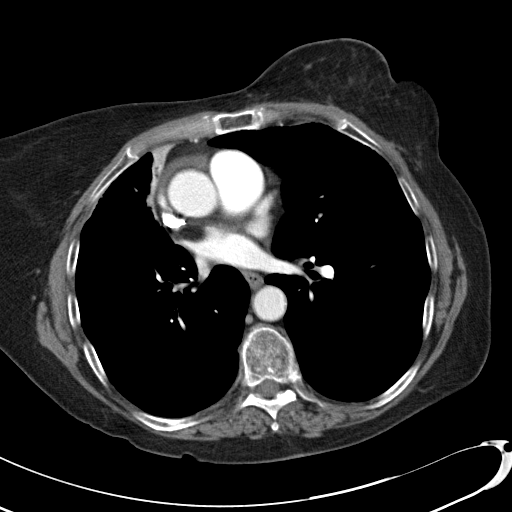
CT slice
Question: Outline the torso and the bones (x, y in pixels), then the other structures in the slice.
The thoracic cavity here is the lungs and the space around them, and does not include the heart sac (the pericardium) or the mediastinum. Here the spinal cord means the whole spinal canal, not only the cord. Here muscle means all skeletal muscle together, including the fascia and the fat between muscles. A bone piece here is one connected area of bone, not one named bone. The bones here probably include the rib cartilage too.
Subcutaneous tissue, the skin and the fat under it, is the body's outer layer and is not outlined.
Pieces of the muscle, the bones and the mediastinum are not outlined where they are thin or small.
Answer: torso: (336, 37) (375, 46) (395, 79) (418, 82) (436, 104) (439, 155) (474, 204) (489, 248) (492, 337) (477, 377) (367, 440) (264, 463) (216, 464) (197, 461) (188, 454) (179, 458) (159, 455) (69, 415) (0, 350) (0, 137) (114, 104) (187, 100) (234, 91) (288, 50)
bones 1: (257, 325) (272, 327) (290, 341) (305, 387) (327, 404) (322, 407) (298, 396) (296, 400) (285, 404) (278, 410) (276, 414) (278, 429) (276, 431) (270, 427) (273, 419) (262, 408) (248, 405) (238, 410) (234, 409) (237, 388) (234, 384) (240, 371) (238, 347) (244, 336); inner edge: (267, 379) (268, 379) (269, 380) (272, 380) (279, 384) (279, 386) (278, 387) (278, 389) (277, 390) (277, 391) (272, 396) (266, 396) (263, 393) (262, 393) (259, 391) (257, 391) (256, 390) (256, 388) (257, 387) (257, 386) (259, 384) (260, 384) (263, 381) (264, 381)
bones 2: (260, 106) (279, 111) (282, 115) (281, 121) (258, 129) (240, 129) (222, 134) (194, 134) (165, 143) (142, 154) (123, 170) (95, 203) (89, 201) (89, 196) (94, 188) (116, 163) (127, 146) (143, 142) (165, 128) (197, 119) (203, 115) (213, 116) (221, 112) (238, 112)
bones 3: (220, 400) (216, 406) (199, 413) (195, 417) (199, 419) (209, 416) (210, 418) (197, 424) (172, 431) (165, 431) (164, 430) (154, 429) (138, 420) (132, 414) (132, 411) (134, 410) (140, 410) (150, 415) (162, 418) (182, 418) (194, 415) (196, 413) (204, 410) (217, 403)
bones 4: (416, 362) (419, 362) (420, 363) (420, 365) (415, 375) (411, 381) (396, 396) (379, 407) (376, 407) (371, 409) (366, 409) (364, 408) (364, 406) (365, 405) (369, 404) (371, 402) (373, 402) (377, 396) (387, 390) (392, 385) (393, 385) (404, 374) (404, 373) (414, 363)
bones 5: (335, 117) (338, 117) (339, 118) (346, 118) (354, 125) (355, 125) (367, 135) (368, 135) (372, 139) (373, 139) (376, 142) (377, 142) (379, 145) (379, 147) (378, 148) (378, 152) (377, 152) (369, 146) (335, 129) (334, 128) (334, 118)
bones 6: (87, 340) (88, 340) (93, 346) (95, 350) (95, 352) (98, 357) (98, 359) (105, 372) (105, 374) (108, 380) (108, 386) (107, 387) (104, 386) (99, 380) (99, 379) (96, 376) (93, 370) (91, 368) (85, 356) (85, 354) (83, 350) (83, 343)
bones 7: (428, 293) (430, 293) (432, 294) (434, 298) (434, 303) (433, 304) (433, 316) (432, 317) (432, 322) (431, 323) (431, 326) (430, 327) (430, 329) (429, 330) (428, 335) (425, 339) (423, 339) (422, 320) (423, 319) (423, 311) (424, 310) (424, 304) (425, 303) (425, 299)
bones 8: (74, 239) (79, 239) (79, 248) (78, 249) (78, 253) (77, 254) (77, 259) (76, 260) (76, 265) (75, 266) (75, 272) (74, 273) (74, 275) (71, 275) (69, 276) (67, 274) (67, 272) (66, 271) (67, 254) (68, 253) (68, 249) (69, 248) (70, 243) (71, 241)
bones 9: (69, 293) (71, 293) (75, 295) (76, 299) (77, 300) (77, 304) (78, 305) (78, 310) (79, 311) (79, 317) (80, 318) (80, 324) (78, 325) (75, 329) (74, 329) (72, 327) (70, 323) (70, 321) (69, 320) (69, 316) (68, 315) (68, 306) (67, 305) (67, 297)
bones 10: (400, 176) (401, 177) (403, 177) (409, 184) (410, 187) (412, 189) (417, 199) (417, 201) (419, 204) (419, 208) (418, 209) (419, 214) (418, 216) (416, 215) (413, 211) (412, 208) (410, 206) (400, 186) (400, 184) (397, 178) (397, 177) (399, 177)
bones 11: (429, 235) (430, 235) (432, 237) (433, 239) (433, 242) (435, 246) (435, 251) (436, 252) (436, 257) (437, 258) (437, 268) (435, 271) (433, 271) (430, 268) (429, 266) (429, 264) (428, 263) (428, 258) (427, 257) (427, 253) (426, 252) (426, 247) (425, 246) (425, 238)
thoracic cavity 1: (282, 121) (320, 122) (378, 153) (393, 170) (422, 227) (430, 269) (422, 311) (422, 340) (403, 374) (365, 401) (331, 399) (313, 389) (300, 370) (284, 325) (287, 296) (265, 281) (275, 228) (285, 213) (279, 195) (281, 177) (239, 149) (208, 144) (218, 135) (258, 130)
thoracic cavity 2: (170, 142) (156, 186) (152, 213) (154, 219) (175, 244) (194, 256) (214, 267) (226, 265) (235, 268) (249, 288) (242, 338) (237, 347) (239, 367) (235, 378) (217, 402) (182, 417) (162, 417) (141, 410) (109, 381) (81, 325) (75, 290) (80, 234) (99, 198) (140, 157)
spinal cord: (267, 379) (268, 379) (269, 380) (272, 380) (279, 384) (279, 386) (278, 387) (278, 389) (277, 390) (277, 391) (272, 396) (266, 396) (263, 393) (262, 393) (259, 391) (257, 391) (256, 390) (256, 388) (257, 387) (257, 386) (259, 384) (260, 384) (263, 381) (264, 381)
mediastinum 1: (271, 252) (264, 281) (267, 284) (276, 286) (282, 290) (286, 296) (287, 308) (283, 316) (283, 325) (288, 338) (274, 327) (262, 324) (257, 324) (252, 326) (243, 337) (245, 317) (250, 301) (250, 288) (242, 274) (235, 267) (232, 266) (241, 269) (249, 269) (266, 259)
mediastinum 2: (211, 134) (217, 135) (209, 139) (207, 141) (207, 144) (212, 147) (220, 148) (214, 148) (207, 152) (183, 153) (173, 158) (171, 161) (163, 168) (165, 162) (165, 157) (166, 155) (168, 154) (172, 146) (172, 142) (173, 141) (183, 138) (189, 138) (194, 135) (210, 135)
mediastinum 3: (154, 207) (154, 211) (156, 214) (156, 216) (159, 219) (160, 223) (164, 227) (169, 229) (173, 237) (175, 238) (176, 240) (177, 240) (177, 242) (182, 245) (175, 243) (169, 236) (166, 230) (161, 225) (160, 225) (155, 219) (154, 217) (154, 214) (153, 213) (154, 212)
muscle: (264, 101) (333, 104) (397, 145) (436, 211) (449, 243) (453, 236) (457, 241) (466, 267) (467, 293) (438, 358) (405, 398) (373, 419) (328, 429) (317, 437) (275, 433) (259, 439) (241, 435) (187, 440) (161, 436) (113, 411) (85, 389) (40, 343) (35, 314) (44, 297) (49, 264) (62, 229) (84, 191) (128, 140) (153, 126) (196, 112) (220, 112) (165, 127) (125, 147) (89, 194) (93, 209) (79, 237) (69, 243) (65, 271) (74, 276) (75, 294) (69, 292) (66, 297) (68, 320) (74, 330) (81, 326) (87, 338) (82, 343) (84, 356) (101, 384) (107, 388) (109, 382) (137, 407) (131, 414) (138, 421) (165, 432) (210, 419) (209, 415) (196, 417) (216, 407) (235, 386) (233, 409) (262, 409) (272, 419) (269, 427) (276, 432) (279, 410) (298, 397) (322, 408) (328, 404) (305, 384) (331, 400) (365, 402) (374, 398) (363, 406) (371, 410) (396, 397) (421, 365) (414, 361) (433, 322) (435, 298) (428, 292) (438, 258) (433, 237) (425, 237) (413, 189) (379, 153) (379, 143) (346, 117) (335, 116) (333, 127) (314, 120) (282, 120) (282, 113) (274, 108) (260, 105) (242, 109)
pericardium: (221, 148) (235, 149) (247, 154) (261, 165) (266, 166) (280, 180) (278, 195) (282, 204) (271, 239) (271, 251) (266, 258) (249, 268) (241, 268) (198, 257) (178, 242) (171, 230) (161, 223) (155, 211) (155, 199) (162, 170) (173, 159) (183, 154) (207, 153)